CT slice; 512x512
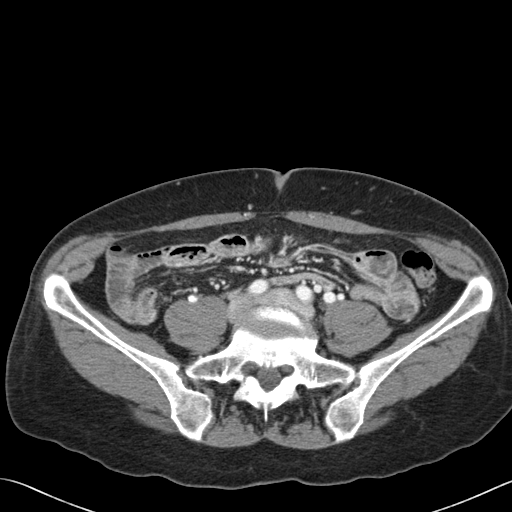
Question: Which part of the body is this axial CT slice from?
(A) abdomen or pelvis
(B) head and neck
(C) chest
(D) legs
Answer: (A) abdomen or pelvis
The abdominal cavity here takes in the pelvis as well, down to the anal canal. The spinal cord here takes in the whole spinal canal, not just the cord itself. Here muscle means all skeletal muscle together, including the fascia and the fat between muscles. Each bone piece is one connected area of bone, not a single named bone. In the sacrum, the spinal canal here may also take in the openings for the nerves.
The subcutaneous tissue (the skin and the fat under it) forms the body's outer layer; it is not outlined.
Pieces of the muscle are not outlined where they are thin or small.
bones 1: 479 273; 492 284; 489 310; 404 359; 378 385; 347 441; 335 443; 324 417; 357 378; 299 384; 298 397; 269 410; 265 421; 261 409; 233 398; 238 382; 184 373; 266 306; 293 312; 317 335; 320 355; 357 370; 431 327 with a hole at 245 362; 252 362; 261 367; 264 367; 265 368; 278 367; 282 365; 286 365; 291 368; 291 372; 287 375; 284 375; 282 376; 279 382; 273 388; 270 390; 265 390; 261 386; 259 382; 259 380; 256 376; 243 372; 243 366
bones 2: 52 272; 63 275; 84 308; 120 339; 144 352; 179 364; 178 373; 183 382; 188 387; 203 392; 204 395; 211 398; 212 418; 202 433; 201 441; 192 441; 179 432; 170 417; 168 399; 149 372; 88 329; 46 306; 43 297; 43 283
muscle 1: 289 210; 331 211; 385 229; 430 232; 457 239; 478 254; 491 271; 499 293; 472 350; 442 381; 398 403; 394 408; 396 417; 386 425; 356 435; 364 422; 367 404; 379 385; 416 350; 472 316; 489 311; 494 300; 493 284; 485 274; 471 275; 462 289; 425 249; 387 233; 348 233; 269 215; 197 228; 147 231; 107 245; 93 269; 75 286; 81 299; 93 309; 131 331; 154 338; 177 359; 196 357; 183 366; 183 373; 189 379; 221 385; 238 383; 232 398; 261 410; 265 422; 269 411; 299 397; 299 385; 310 390; 337 384; 348 386; 357 379; 354 386; 332 399; 325 409; 323 423; 337 444; 298 449; 266 439; 229 448; 199 443; 213 418; 212 398; 184 382; 179 363; 144 351; 115 334; 85 308; 68 279; 59 272; 52 271; 43 280; 45 306; 88 330; 149 373; 164 393; 169 417; 181 435; 162 434; 138 423; 130 417; 125 399; 94 386; 76 372; 61 353; 37 299; 35 286; 46 260; 70 239; 103 231; 141 229; 203 214
muscle 2: 344 301; 367 302; 373 305; 385 318; 387 324; 391 329; 389 334; 377 345; 367 350; 357 353; 350 357; 344 356; 339 353; 332 352; 328 348; 328 346; 326 343; 326 339; 328 338; 328 334; 322 320; 325 310; 328 306
muscle 3: 208 295; 214 295; 222 298; 225 303; 225 314; 227 320; 225 331; 221 335; 222 337; 214 345; 192 351; 186 347; 171 341; 169 339; 170 336; 168 330; 164 324; 164 313; 166 309; 177 300; 183 299; 191 304; 195 304; 202 296
muscle 4: 444 312; 445 312; 437 321; 436 321; 431 326; 416 336; 408 343; 405 344; 403 346; 390 353; 388 353; 383 356; 381 356; 377 358; 374 358; 367 361; 376 352; 380 351; 389 346; 399 335; 413 331; 419 326; 436 318
torso: 304 166; 370 173; 425 192; 464 215; 494 247; 507 275; 511 301; 511 410; 490 432; 438 461; 387 477; 329 486; 291 480; 219 489; 120 473; 13 424; 4 392; 6 354; 33 265; 62 227; 118 197; 174 178; 237 167; 283 172
abdominal cavity: 258 216; 407 240; 431 255; 439 268; 459 283; 461 291; 447 310; 399 334; 364 362; 352 364; 320 354; 319 338; 310 324; 293 311; 272 305; 246 313; 223 348; 181 360; 154 337; 131 330; 93 308; 76 286; 114 241; inner edge: 344 301; 367 302; 373 305; 385 318; 387 324; 391 329; 389 334; 377 345; 367 350; 357 353; 350 357; 344 356; 339 353; 332 352; 328 348; 328 346; 326 343; 326 339; 328 338; 328 334; 322 320; 325 310; 328 306
spinal cord: 245 362; 252 362; 261 367; 264 367; 265 368; 278 367; 282 365; 286 365; 291 368; 291 372; 287 375; 284 375; 282 376; 279 382; 273 388; 270 390; 265 390; 261 386; 259 382; 259 380; 256 376; 243 372; 243 366